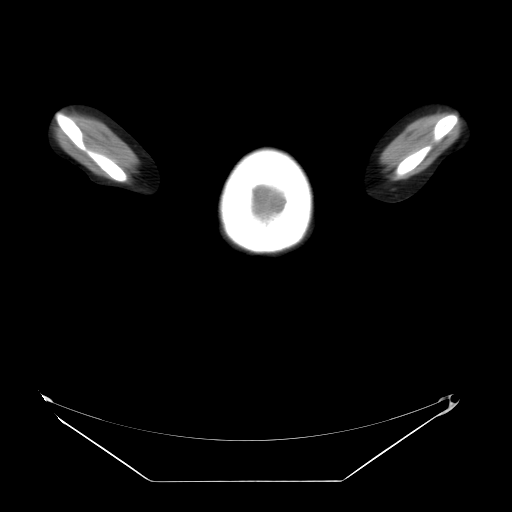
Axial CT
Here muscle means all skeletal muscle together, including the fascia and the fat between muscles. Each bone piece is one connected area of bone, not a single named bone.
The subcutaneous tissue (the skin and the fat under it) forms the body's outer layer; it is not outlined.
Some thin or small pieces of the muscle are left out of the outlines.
left arm: 432,101 443,101 453,104 468,119 471,127 471,136 468,143 460,150 448,156 441,163 427,183 419,191 411,197 403,201 395,203 385,203 366,196 362,191 361,174 366,159 374,144 382,134 404,114 419,105
bones 1: 261,147 277,148 289,153 295,158 307,174 313,193 313,214 311,222 304,238 299,243 292,247 271,253 256,253 246,250 234,244 225,235 221,227 218,214 218,202 220,193 224,181 230,170 242,156 252,150 with a hole at 258,186 265,186 268,188 271,188 273,190 275,190 277,192 281,194 282,197 284,199 284,203 282,206 282,208 279,211 277,212 274,212 270,214 267,217 261,217 254,212 254,210 253,209 254,189
bones 2: 59,110 69,116 79,127 83,134 84,143 89,149 91,149 107,156 112,159 122,168 127,176 127,179 124,182 116,181 111,178 109,175 83,150 79,148 69,138 60,128 54,119 54,114 55,112
bones 3: 429,144 431,145 431,149 427,153 425,157 413,169 403,174 401,176 398,176 395,173 395,169 397,165 399,163 399,162 401,161 407,155
bones 4: 455,112 456,112 459,115 459,119 458,120 458,122 450,130 450,131 448,132 440,140 438,141 433,141 433,133 432,132 433,131 433,128 436,122 441,117 447,114 449,114 450,113 454,113
right arm: 70,102 83,102 93,105 101,109 119,123 144,147 155,160 161,172 163,186 161,192 157,196 144,196 114,187 106,187 98,185 92,182 80,169 68,161 59,157 50,149 46,140 46,126 48,120 60,105
muscle 1: 445,110 455,111 441,116 435,122 431,132 432,141 433,142 440,141 459,122 460,118 462,121 462,129 459,137 422,171 403,180 386,182 383,179 377,165 377,160 379,155 384,148 412,121 422,116 with a hole at 429,144 431,145 431,149 427,153 425,157 413,169 403,174 401,176 398,176 395,173 395,169 397,165 399,163 399,162 401,161 407,155
muscle 2: 62,109 74,110 99,119 133,150 141,161 141,165 140,166 140,173 135,177 135,180 132,183 125,183 128,179 126,172 112,158 101,152 89,148 87,146 85,143 84,134 80,127 69,115 63,112 61,110
muscle 3: 54,120 59,128 68,137 68,138 79,149 83,151 104,172 105,172 111,179 113,180 105,178 102,176 100,176 94,173 83,164 82,164 73,157 72,157 69,154 65,152 59,146 53,136 52,124
brain: 258,186 265,186 268,188 271,188 273,190 275,190 277,192 281,194 282,197 284,199 284,203 282,206 282,208 279,211 277,212 274,212 270,214 267,217 261,217 254,212 254,210 253,209 254,189
head: 262,144 273,144 286,148 299,160 311,179 315,190 315,197 317,204 318,219 317,229 308,245 296,253 283,259 274,261 259,261 257,259 246,258 228,249 218,237 214,217 217,196 228,172 238,158 244,153